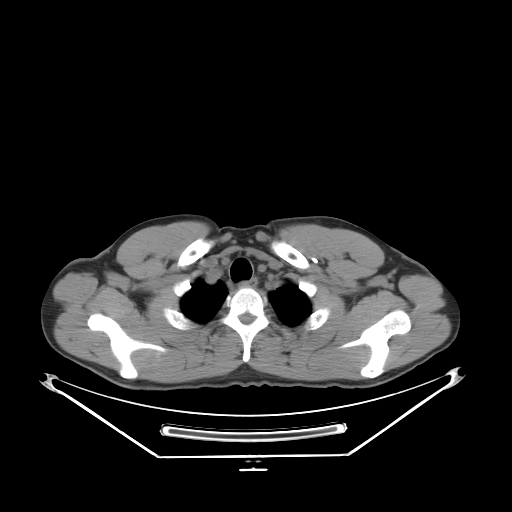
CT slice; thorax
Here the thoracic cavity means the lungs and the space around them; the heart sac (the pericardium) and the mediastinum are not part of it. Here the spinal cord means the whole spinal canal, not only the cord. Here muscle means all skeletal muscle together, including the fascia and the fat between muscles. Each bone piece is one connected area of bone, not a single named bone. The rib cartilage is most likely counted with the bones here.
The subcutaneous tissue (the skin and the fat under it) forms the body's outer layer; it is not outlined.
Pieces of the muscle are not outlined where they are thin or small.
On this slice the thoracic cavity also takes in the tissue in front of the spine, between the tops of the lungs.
{"muscle":[{"outer":[[181,220],[205,221],[214,234],[240,237],[291,223],[359,232],[383,250],[389,271],[440,284],[450,334],[385,372],[389,339],[412,327],[409,314],[395,308],[338,346],[369,348],[359,369],[364,379],[288,379],[243,363],[221,376],[162,383],[134,379],[139,373],[131,355],[168,348],[131,337],[97,311],[86,325],[108,337],[119,368],[116,373],[79,358],[53,336],[56,282],[72,270],[114,270],[117,249],[134,232]],"holes":[[[234,252],[244,252],[272,263],[297,285],[300,279],[313,283],[317,288],[309,299],[311,310],[329,308],[326,321],[313,330],[305,329],[303,321],[290,326],[280,321],[270,306],[273,323],[253,337],[247,362],[242,360],[243,343],[239,334],[218,322],[221,309],[208,321],[194,320],[195,325],[190,329],[172,326],[165,318],[163,309],[180,309],[181,299],[174,293],[173,286],[186,278],[193,283],[204,273],[209,262]],[[275,239],[277,240],[283,240],[288,244],[291,245],[294,248],[297,249],[304,256],[306,257],[306,258],[308,260],[309,266],[307,268],[299,268],[298,267],[296,267],[292,265],[284,259],[281,258],[276,254],[275,254],[272,251],[270,247],[270,243]],[[198,238],[204,238],[205,239],[211,239],[213,240],[214,241],[214,243],[211,247],[211,248],[208,251],[208,252],[204,254],[194,262],[190,264],[185,265],[184,266],[179,266],[177,264],[177,262],[178,261],[178,258],[182,251],[190,243],[191,243]]]}],"right_arm":[[[62,267],[63,267],[66,273],[66,276],[67,277],[67,286],[66,287],[66,290],[64,294],[57,301],[53,303],[51,303],[50,304],[47,304],[46,305],[41,305],[41,301],[42,300],[42,298],[44,295],[44,293],[51,279],[54,276],[54,275]]],"thoracic_cavity":[[[234,252],[244,252],[272,263],[295,283],[309,299],[311,312],[307,317],[296,325],[290,326],[283,323],[272,310],[268,296],[250,285],[230,290],[220,309],[208,321],[198,322],[186,316],[180,310],[180,301],[191,289],[192,283],[204,273],[209,262]]],"spinal_cord":[[[247,312],[248,313],[249,313],[250,314],[251,314],[253,316],[254,316],[255,317],[255,318],[250,323],[249,323],[248,324],[245,324],[244,323],[243,323],[242,322],[241,322],[241,321],[239,319],[239,316],[240,315],[241,315],[244,313],[246,313]]],"torso":[[[176,213],[203,214],[221,226],[237,227],[300,215],[352,222],[439,279],[439,301],[461,313],[458,335],[423,364],[370,388],[236,384],[145,391],[113,384],[51,348],[42,332],[40,306],[65,294],[68,277],[63,266],[69,261],[97,254],[141,221]]],"left_arm":[[[440,280],[453,293],[453,294],[455,296],[455,297],[458,302],[458,304],[459,305],[460,310],[454,310],[453,309],[450,309],[449,308],[446,307],[440,301],[440,300],[438,297],[438,294],[437,293],[437,288],[438,287],[438,284],[439,283]]],"bones":[{"outer":[[246,286],[250,286],[262,295],[265,294],[267,296],[273,323],[260,330],[253,337],[250,347],[250,357],[247,362],[244,362],[242,360],[243,343],[239,334],[229,326],[225,324],[220,324],[218,322],[218,319],[222,315],[221,307],[229,292]],"hole":[[247,312],[248,313],[249,313],[250,314],[251,314],[253,316],[254,316],[255,317],[255,318],[250,323],[249,323],[248,324],[245,324],[244,323],[243,323],[242,322],[241,322],[241,321],[239,319],[239,316],[240,315],[241,315],[244,313],[246,313]]},[[395,309],[401,309],[408,314],[411,327],[406,333],[395,334],[388,339],[387,344],[389,352],[384,365],[385,371],[372,378],[363,377],[360,374],[360,369],[369,358],[370,348],[365,344],[345,348],[339,348],[339,346],[357,339],[364,329],[388,312]],[[97,312],[115,320],[131,338],[156,344],[167,348],[167,350],[162,352],[150,348],[141,348],[133,351],[130,358],[137,370],[137,377],[133,379],[122,377],[118,373],[120,363],[111,350],[109,337],[103,331],[91,330],[87,325],[88,317],[92,313]],[[275,239],[277,240],[283,240],[288,244],[291,245],[294,248],[297,249],[304,256],[306,257],[306,258],[308,260],[309,266],[307,268],[299,268],[298,267],[296,267],[292,265],[284,259],[281,258],[276,254],[275,254],[272,251],[270,247],[270,243]],[[198,238],[204,238],[205,239],[211,239],[213,240],[214,241],[214,243],[211,247],[211,248],[208,251],[208,252],[204,254],[194,262],[190,264],[185,265],[184,266],[179,266],[177,264],[177,262],[178,261],[178,258],[182,251],[190,243],[191,243]],[[166,307],[169,307],[172,309],[176,309],[177,310],[179,310],[186,317],[192,320],[193,321],[193,323],[195,325],[192,328],[188,329],[187,330],[182,330],[181,329],[179,329],[178,328],[176,328],[172,326],[167,321],[163,314],[163,309]],[[322,307],[327,307],[330,309],[330,313],[326,321],[321,326],[320,326],[316,329],[314,329],[313,330],[307,330],[305,329],[304,328],[304,321],[306,319],[306,318],[308,317],[308,316],[312,312],[312,311],[316,309],[321,308]],[[186,278],[188,278],[189,279],[190,281],[190,283],[191,284],[191,287],[190,289],[188,290],[180,298],[178,297],[174,293],[173,291],[173,289],[172,288],[173,286],[176,283],[178,282],[180,282]],[[300,279],[301,279],[302,280],[304,280],[305,281],[307,281],[308,282],[310,282],[311,283],[313,283],[316,286],[316,287],[317,288],[316,289],[316,291],[311,298],[309,298],[306,295],[306,294],[304,292],[303,292],[298,287],[298,282]]]}